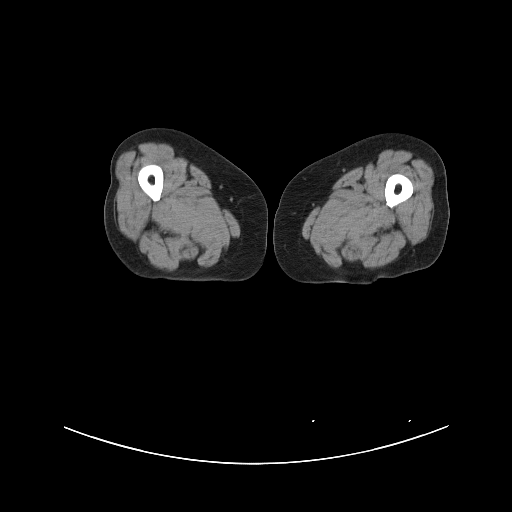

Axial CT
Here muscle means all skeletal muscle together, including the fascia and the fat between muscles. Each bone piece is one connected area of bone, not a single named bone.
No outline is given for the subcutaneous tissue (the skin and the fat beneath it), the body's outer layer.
The bones appear in 2 outlined pieces: piece 1: (394, 173) (400, 173) (401, 174) (403, 174) (412, 182) (412, 184) (413, 185) (413, 193) (411, 195) (411, 196) (405, 201) (400, 203) (398, 205) (394, 207) (389, 207) (387, 205) (386, 205) (386, 201) (385, 200) (384, 190) (385, 189) (385, 184) (388, 177) (390, 175); piece 2: (146, 164) (157, 164) (161, 167) (162, 169) (162, 171) (163, 172) (163, 188) (161, 192) (161, 195) (160, 196) (160, 198) (157, 201) (153, 201) (142, 190) (142, 189) (139, 185) (139, 183) (137, 179) (137, 176) (138, 175) (138, 171) (143, 165) (145, 165). The muscle appears in 2 outlined pieces: piece 1: (149, 139) (161, 139) (167, 142) (175, 147) (189, 162) (200, 168) (208, 176) (215, 190) (238, 222) (239, 236) (237, 241) (230, 251) (211, 268) (189, 273) (174, 273) (152, 267) (116, 226) (113, 211) (114, 198) (119, 185) (115, 175) (116, 161) (120, 154) (128, 147) with a hole at (146, 164) (157, 164) (161, 167) (162, 169) (162, 171) (163, 172) (163, 188) (161, 192) (161, 195) (160, 196) (160, 198) (157, 201) (153, 201) (142, 190) (142, 189) (139, 185) (139, 183) (137, 179) (137, 176) (138, 175) (138, 171) (143, 165) (145, 165); piece 2: (388, 148) (401, 148) (408, 150) (427, 162) (433, 170) (433, 217) (428, 235) (412, 250) (379, 269) (375, 269) (370, 272) (349, 272) (332, 269) (315, 254) (310, 243) (303, 237) (303, 223) (309, 213) (326, 197) (336, 180) (345, 172) (370, 162) (381, 151) with a hole at (394, 173) (400, 173) (401, 174) (403, 174) (412, 182) (412, 184) (413, 185) (413, 193) (411, 195) (411, 196) (405, 201) (400, 203) (398, 205) (394, 207) (389, 207) (387, 205) (386, 205) (386, 201) (385, 200) (384, 190) (385, 189) (385, 184) (388, 177) (390, 175). The right leg is outlined by (150, 127) (173, 128) (197, 138) (239, 167) (259, 187) (267, 204) (267, 248) (260, 269) (251, 278) (233, 283) (219, 281) (182, 282) (164, 279) (145, 279) (131, 273) (117, 258) (107, 240) (103, 221) (104, 201) (110, 184) (111, 158) (117, 146) (126, 137) (139, 130). The left leg is outlined by (385, 132) (399, 132) (418, 137) (430, 144) (443, 161) (447, 177) (449, 223) (444, 246) (439, 257) (431, 266) (425, 269) (396, 278) (381, 278) (369, 285) (351, 283) (303, 284) (290, 279) (279, 267) (273, 249) (274, 215) (284, 188) (300, 170) (314, 161) (358, 140).